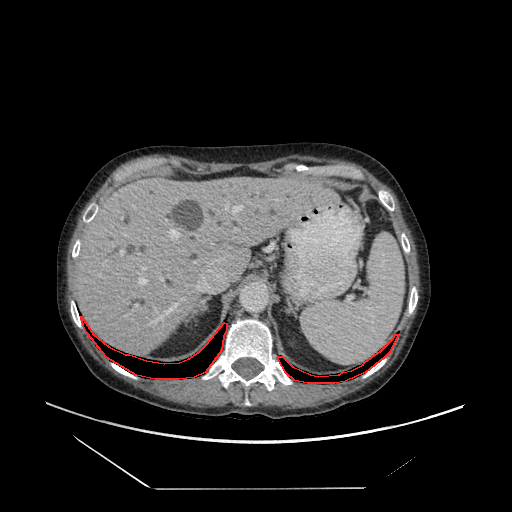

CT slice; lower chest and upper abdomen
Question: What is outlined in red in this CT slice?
Answer: red: thoracic cavity.
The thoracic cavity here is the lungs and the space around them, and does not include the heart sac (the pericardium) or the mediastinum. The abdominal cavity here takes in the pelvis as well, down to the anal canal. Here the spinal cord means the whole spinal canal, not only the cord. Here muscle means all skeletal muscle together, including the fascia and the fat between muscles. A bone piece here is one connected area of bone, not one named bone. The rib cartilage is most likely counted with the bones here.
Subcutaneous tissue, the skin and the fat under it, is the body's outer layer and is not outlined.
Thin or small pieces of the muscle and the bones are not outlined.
The thoracic cavity appears in 2 outlined pieces: piece 1: 81,316 93,334 108,346 125,354 129,354 146,360 164,363 179,362 189,358 198,352 206,344 224,322 226,323 226,329 223,336 221,350 205,372 194,377 178,379 155,379 136,375 106,357 87,333 83,325; piece 2: 395,334 397,334 397,336 388,353 384,357 365,372 345,381 334,383 307,383 294,380 286,373 278,359 278,356 282,356 292,366 310,374 318,376 339,374 342,372 351,370 363,364 364,362 381,350 392,339. The bones appear in 9 outlined pieces: piece 1: 236,318 257,318 267,324 273,337 273,351 285,373 294,381 285,385 277,380 270,391 261,382 253,383 247,391 250,406 243,404 245,388 240,382 232,381 224,388 216,376 204,380 200,378 221,352 227,327 with a hole at 240,358 253,358 254,359 257,360 262,365 263,368 262,369 262,370 261,370 256,375 255,375 253,377 252,377 249,379 246,379 245,378 244,378 242,376 241,376 233,368 233,367 232,366 233,365 234,362; piece 2: 289,162 303,163 307,165 337,165 338,164 347,165 360,170 364,175 364,179 363,180 357,180 356,179 352,179 348,177 343,177 337,175 314,175 310,173 299,172 293,169 286,170 284,169 283,166; piece 3: 150,158 165,158 168,160 175,160 178,162 177,164 173,164 169,161 167,161 156,169 150,170 149,171 133,173 131,175 126,177 122,181 114,181 113,176 114,174 118,171 123,169 126,166; piece 4: 379,189 384,189 385,190 388,191 391,194 391,195 393,197 393,200 394,201 394,206 395,207 394,208 394,210 393,211 388,211 388,210 381,203 381,202 379,200 379,199 378,198 378,195 377,194 377,191; piece 5: 412,286 415,286 417,289 417,291 418,292 418,300 417,301 417,303 416,304 416,306 414,310 412,312 412,313 408,316 406,315 406,310 407,309 407,305 408,304 408,297 409,296 409,291 410,290 410,288; piece 6: 93,201 97,203 98,205 98,209 97,210 97,212 95,214 94,217 91,220 91,221 89,222 89,223 85,223 82,219 83,214 87,206 91,202; piece 7: 71,299 75,301 75,303 76,304 77,309 79,312 80,319 81,320 81,322 82,323 82,325 84,329 81,329 79,328 76,325 76,324 73,321 72,319 72,317 70,313 70,306 69,305 69,301; piece 8: 387,355 389,356 388,359 386,361 386,362 379,369 378,369 375,372 374,372 372,374 369,375 365,378 363,378 362,379 360,378 360,376 362,374 365,373 369,369 370,369 374,365 375,365 379,361 380,361; piece 9: 109,360 115,363 123,369 128,371 130,373 136,376 138,376 140,377 139,379 136,380 135,379 133,379 128,376 126,376 118,372 116,370 115,370 109,364 109,362 108,361. The spinal cord is outlined by 240,358 253,358 254,359 257,360 262,365 263,368 262,369 262,370 261,370 256,375 255,375 253,377 252,377 249,379 246,379 245,378 244,378 242,376 241,376 233,368 233,367 232,366 233,365 234,362. The abdominal cavity is outlined by 239,167 355,180 368,185 389,212 407,265 407,304 397,333 360,365 318,375 277,356 268,312 270,291 257,281 239,290 205,344 179,361 120,351 98,338 80,315 77,258 88,224 108,193 154,170 204,175. The muscle is outlined by 154,153 218,163 261,162 293,154 339,158 361,165 386,184 394,192 411,231 421,283 416,315 393,363 361,388 313,407 255,407 248,393 255,383 263,384 270,392 277,381 289,386 295,381 334,384 359,376 362,380 387,362 405,314 410,316 419,300 417,287 409,285 406,255 411,251 410,241 404,231 399,236 394,228 390,212 396,207 388,190 379,188 376,193 359,181 365,179 360,169 341,163 289,161 282,166 284,170 303,173 273,173 239,166 195,174 181,169 157,169 167,162 179,162 150,157 115,172 113,181 122,182 99,204 93,200 84,209 81,219 87,227 71,249 71,257 77,259 75,300 68,301 71,319 85,330 118,373 136,381 141,377 178,380 199,376 204,381 216,377 224,389 238,382 244,388 242,404 247,407 228,403 201,408 169,401 136,388 100,364 78,337 67,310 69,241 81,210 111,172 130,159. The mediastinum is outlined by 252,282 263,284 267,287 269,291 268,304 269,305 267,312 268,318 273,328 276,354 274,351 274,337 270,327 265,321 257,317 243,317 242,318 236,317 227,326 227,323 224,321 240,290 246,284 249,284. The torso is outlined by 287,142 326,142 363,151 381,162 402,188 426,240 431,295 418,333 400,368 380,389 361,401 323,414 280,420 239,413 206,417 172,412 122,395 102,384 68,336 56,302 60,233 91,177 117,155 144,146.